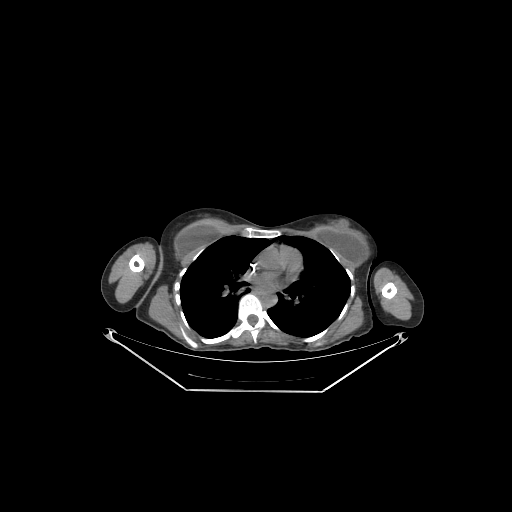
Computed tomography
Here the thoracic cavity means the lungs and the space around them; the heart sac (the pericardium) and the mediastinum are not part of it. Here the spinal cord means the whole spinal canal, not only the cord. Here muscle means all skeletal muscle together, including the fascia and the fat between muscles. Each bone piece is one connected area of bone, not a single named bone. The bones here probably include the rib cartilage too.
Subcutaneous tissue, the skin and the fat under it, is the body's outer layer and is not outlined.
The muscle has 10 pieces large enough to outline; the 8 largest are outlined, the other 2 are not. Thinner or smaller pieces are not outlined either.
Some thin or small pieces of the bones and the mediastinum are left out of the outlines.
{"torso":[[[201,207],[225,209],[261,225],[282,224],[317,213],[338,213],[357,221],[377,244],[377,256],[367,280],[367,294],[374,316],[373,328],[365,335],[316,352],[262,347],[192,353],[163,333],[138,321],[135,310],[160,273],[160,237],[164,227],[177,215]]],"breast_implant":[[[321,229],[329,229],[337,233],[342,233],[343,234],[353,233],[360,237],[367,244],[368,247],[368,251],[366,257],[363,261],[359,264],[359,265],[357,266],[352,266],[349,263],[345,261],[335,250],[328,246],[325,243],[323,243],[316,239],[316,237]],[[201,224],[211,224],[215,226],[224,233],[223,233],[222,235],[219,237],[193,250],[185,256],[179,259],[176,254],[176,251],[174,248],[175,247],[175,238],[176,237],[177,233],[179,231],[187,227],[189,227],[190,226],[195,226],[196,225],[200,225]]],"left_arm":[[[383,260],[392,260],[398,263],[407,272],[416,283],[423,295],[424,304],[425,305],[424,314],[421,322],[415,327],[412,328],[405,328],[401,326],[389,326],[388,325],[384,325],[375,318],[373,309],[370,302],[369,295],[368,294],[368,280],[372,268]]],"right_arm":[[[139,236],[152,236],[160,241],[161,256],[160,257],[160,269],[159,273],[154,284],[145,293],[144,296],[140,300],[134,310],[132,309],[127,312],[118,312],[112,309],[105,302],[101,294],[100,291],[100,279],[101,275],[107,262],[114,252],[128,241]]],"mediastinum":[[[249,280],[251,280],[254,284],[259,286],[261,288],[270,288],[271,289],[282,288],[284,286],[286,286],[288,284],[293,282],[286,287],[282,292],[278,292],[277,293],[278,300],[275,305],[266,309],[264,308],[264,306],[260,298],[251,291],[250,281]],[[274,238],[277,238],[280,241],[281,241],[283,243],[274,243],[273,244],[272,244],[271,245],[270,245],[271,244],[271,243],[272,242],[272,241],[271,240],[271,239],[273,239]]],"muscle":[{"outer":[[144,242],[149,242],[151,243],[155,248],[155,263],[154,264],[154,267],[149,276],[132,293],[129,302],[125,304],[120,304],[116,301],[114,297],[113,289],[108,283],[108,277],[111,268],[117,258],[125,251],[127,248],[134,244],[137,243],[143,243]],"hole":[[137,253],[138,253],[139,254],[140,257],[141,258],[142,258],[142,259],[144,262],[144,266],[143,267],[143,269],[142,270],[141,270],[138,272],[134,272],[133,271],[132,271],[129,267],[129,261],[130,260],[131,257],[133,255],[134,255]]},{"outer":[[381,267],[386,267],[391,270],[393,270],[407,285],[408,288],[414,296],[415,300],[412,303],[412,315],[409,319],[407,320],[401,320],[395,318],[390,314],[384,312],[381,308],[379,304],[379,300],[375,294],[374,288],[372,284],[373,276],[375,272]],"hole":[[389,281],[390,281],[391,282],[392,282],[395,285],[395,286],[397,289],[397,291],[396,292],[396,293],[391,298],[386,298],[385,297],[384,297],[382,295],[382,294],[381,293],[381,288],[384,285],[384,284],[385,284],[387,282],[388,282]]},[[173,283],[174,301],[178,307],[181,307],[179,310],[179,314],[183,326],[180,325],[179,326],[179,330],[183,339],[185,341],[177,337],[166,327],[152,319],[148,315],[147,311],[149,301],[158,286],[162,284],[166,284],[168,285],[168,287],[170,290]],[[341,258],[355,268],[354,270],[354,276],[355,277],[357,279],[356,291],[362,300],[364,322],[357,329],[331,342],[324,340],[317,341],[329,330],[330,325],[334,321],[339,322],[343,318],[349,307],[348,299],[352,299],[355,295],[353,283],[354,275],[347,267],[341,264]],[[267,325],[275,331],[278,332],[282,331],[285,333],[300,337],[301,338],[300,339],[304,343],[316,342],[312,344],[314,346],[313,347],[307,346],[305,344],[296,344],[295,343],[289,343],[285,345],[269,342],[257,343],[258,342],[257,338],[260,330]],[[206,217],[219,218],[231,224],[246,224],[248,225],[245,226],[240,231],[239,234],[229,234],[220,237],[225,233],[222,230],[211,223],[201,223],[195,225],[190,225],[181,229],[184,226],[195,220],[202,219]],[[320,225],[330,225],[337,228],[350,228],[359,233],[366,241],[353,232],[343,233],[342,232],[337,232],[329,228],[321,228],[318,231],[315,239],[304,235],[283,234],[282,231],[279,229],[281,228],[291,228],[297,230],[308,230],[311,228],[315,228]],[[244,331],[248,331],[250,333],[251,337],[252,338],[252,342],[253,343],[252,344],[244,344],[243,345],[232,345],[231,344],[220,344],[219,345],[217,345],[216,344],[214,344],[217,344],[220,342],[225,341],[229,338],[234,338],[236,339],[238,338]]],"thoracic_cavity":[[[229,235],[239,235],[256,239],[270,239],[271,242],[259,251],[249,264],[247,273],[249,275],[248,280],[250,291],[242,294],[238,300],[235,324],[221,335],[205,337],[199,335],[192,329],[186,319],[181,306],[181,279],[190,264],[208,245],[224,236]],[[282,235],[304,236],[319,242],[328,248],[344,268],[350,280],[348,298],[337,317],[328,326],[313,335],[301,337],[283,331],[272,320],[267,311],[267,309],[275,306],[278,302],[278,293],[282,293],[296,281],[303,270],[301,252],[280,240],[278,237]]],"pericardium":[[[274,244],[284,244],[297,249],[302,256],[302,269],[299,272],[296,279],[286,285],[284,285],[282,287],[278,287],[277,288],[261,287],[259,285],[254,283],[250,279],[250,275],[248,273],[248,271],[250,269],[250,264],[254,258],[260,252],[269,246]]],"spinal_cord":[[[250,315],[255,315],[257,317],[257,321],[254,324],[251,324],[250,323],[249,323],[249,322],[248,321],[248,317]]],"bones":[{"outer":[[249,292],[259,298],[271,320],[281,330],[275,330],[267,324],[259,330],[256,343],[253,342],[252,335],[248,330],[244,330],[236,338],[229,337],[217,343],[206,344],[202,342],[199,336],[215,338],[225,334],[236,324],[239,300],[242,295]],"hole":[[250,315],[255,315],[257,317],[257,321],[254,324],[251,324],[250,323],[249,323],[249,322],[248,321],[248,317]]},[[248,226],[251,226],[252,227],[254,227],[255,228],[258,228],[259,229],[278,229],[281,231],[282,234],[277,237],[274,237],[273,238],[256,238],[255,237],[247,237],[246,236],[243,236],[242,235],[240,235],[240,233],[241,231],[245,227],[247,227]],[[137,253],[138,253],[139,254],[140,257],[141,258],[142,258],[142,259],[144,262],[144,266],[143,267],[143,269],[142,270],[141,270],[138,272],[134,272],[133,271],[132,271],[129,267],[129,261],[130,260],[131,257],[133,255],[134,255]],[[389,281],[390,281],[391,282],[392,282],[395,285],[395,286],[397,289],[397,291],[396,292],[396,293],[391,298],[386,298],[385,297],[384,297],[382,295],[382,294],[381,293],[381,288],[384,285],[384,284],[385,284],[387,282],[388,282]],[[329,326],[329,327],[328,328],[328,330],[320,338],[319,338],[316,341],[311,341],[310,342],[304,342],[301,339],[302,338],[304,338],[305,337],[309,337],[310,336],[313,336],[314,335],[321,332],[323,330],[324,330],[327,327],[328,327]],[[180,326],[182,326],[184,328],[184,330],[187,334],[187,335],[193,340],[194,340],[197,343],[198,346],[196,348],[194,348],[193,347],[192,347],[189,344],[188,344],[187,343],[187,342],[184,339],[184,338],[182,335],[182,333],[180,330]],[[176,281],[180,281],[180,284],[179,285],[179,297],[180,298],[180,306],[178,306],[177,305],[177,304],[176,303],[176,302],[175,301],[175,291],[174,290],[174,283]],[[345,268],[347,268],[351,272],[351,273],[353,275],[353,281],[352,282],[352,283],[354,285],[355,290],[354,291],[354,295],[352,298],[349,298],[349,296],[350,295],[350,292],[351,291],[351,280],[350,279],[348,274],[346,272],[346,271],[345,270]],[[347,301],[348,301],[348,307],[347,308],[347,309],[346,310],[344,315],[342,317],[342,318],[339,321],[335,321],[335,320],[338,317],[338,316],[340,314],[340,313],[341,312],[341,311],[342,310],[344,305],[346,303],[346,302]],[[181,309],[184,314],[184,316],[185,317],[185,319],[186,320],[186,321],[188,323],[188,324],[189,325],[189,326],[191,328],[191,329],[188,329],[186,327],[185,327],[184,326],[184,324],[183,323],[183,321],[181,318],[181,315],[180,314],[180,310]],[[202,247],[205,247],[204,248],[204,249],[199,254],[199,255],[193,261],[192,261],[192,257],[199,250],[199,249],[200,248],[201,248]],[[329,248],[331,248],[334,251],[335,251],[336,252],[336,253],[339,256],[339,257],[340,258],[340,263],[336,259],[336,258],[333,255],[333,254],[330,251],[330,250],[329,249]],[[184,267],[187,267],[187,268],[186,269],[186,270],[184,272],[184,273],[183,274],[183,275],[181,277],[181,278],[180,278],[179,277],[179,272]]]}